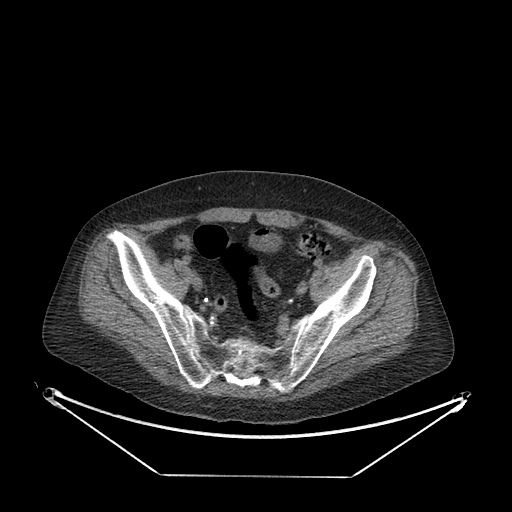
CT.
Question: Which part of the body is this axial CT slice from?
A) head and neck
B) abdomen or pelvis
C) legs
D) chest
Answer: B) abdomen or pelvis
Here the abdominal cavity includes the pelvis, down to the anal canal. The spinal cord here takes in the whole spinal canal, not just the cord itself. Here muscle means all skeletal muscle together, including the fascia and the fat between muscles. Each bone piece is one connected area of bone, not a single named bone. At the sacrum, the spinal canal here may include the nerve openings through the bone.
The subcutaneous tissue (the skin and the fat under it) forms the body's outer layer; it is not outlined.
The torso is outlined by 232,169 317,177 361,195 395,215 417,239 428,260 454,337 451,363 424,380 353,410 298,423 268,425 235,420 215,422 169,413 147,405 49,353 41,338 45,310 69,248 84,223 107,205 149,187 189,175. The bones are outlined by 114,229 139,245 157,281 205,320 218,343 241,336 279,346 293,324 342,285 362,255 373,258 376,274 364,307 339,328 289,392 265,379 241,387 222,375 198,389 179,372 154,314 126,285 117,249 106,237 with a hole at 238,372 240,372 240,373 242,375 245,375 246,374 250,374 250,375 248,377 244,377 243,378 240,378 239,377 238,377 236,375 236,373 237,373. The abdominal cavity is outlined by 250,219 286,228 324,228 353,243 342,260 313,273 309,289 315,308 293,323 282,343 273,347 241,335 220,342 212,339 206,320 182,302 190,283 190,269 178,258 160,261 148,242 151,236 183,222 245,223. The muscle is outlined by 221,206 295,211 332,221 367,239 393,242 414,262 419,276 416,289 419,324 415,335 411,338 411,345 402,353 374,364 348,379 295,400 270,401 267,399 231,396 203,396 181,392 171,386 161,384 136,362 124,348 102,335 95,327 85,323 80,316 77,304 79,278 88,245 98,233 111,226 114,222 138,224 153,221 157,218 195,214 209,208, around a hole outlined by 250,219 324,228 353,243 342,260 311,276 316,306 362,255 376,267 370,295 289,392 265,379 241,387 222,375 198,389 126,285 106,235 117,229 134,240 181,302 190,269 178,258 160,261 148,239 183,222. The spinal cord appears in 3 outlined pieces: piece 1: 238,372 240,372 240,373 242,375 245,375 246,374 250,374 250,375 248,377 244,377 243,378 240,378 239,377 238,377 236,375 236,373 237,373; piece 2: 229,364 230,364 231,365 232,365 232,366 233,367 233,368 233,369 232,370 232,371 231,371 230,371 229,370 228,370 227,370 227,369 227,368 227,367 228,366 228,365; piece 3: 259,368 260,368 261,368 262,369 262,370 262,371 262,372 262,373 261,373 260,373 259,373 258,373 257,373 256,373 255,373 255,372 255,371 256,370 257,369 258,369.